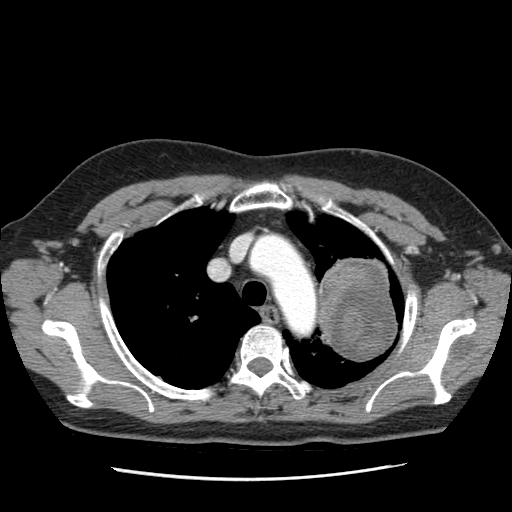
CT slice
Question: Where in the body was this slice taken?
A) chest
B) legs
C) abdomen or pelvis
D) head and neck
Answer: A) chest
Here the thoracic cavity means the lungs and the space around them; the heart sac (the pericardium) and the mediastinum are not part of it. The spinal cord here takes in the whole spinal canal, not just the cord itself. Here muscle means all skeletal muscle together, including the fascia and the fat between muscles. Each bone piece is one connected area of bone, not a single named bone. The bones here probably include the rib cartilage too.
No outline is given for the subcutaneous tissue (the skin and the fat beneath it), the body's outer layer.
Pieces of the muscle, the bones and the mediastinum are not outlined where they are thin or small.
Outlines (x, y in pixels):
spinal cord: 260 357; 262 357; 263 358; 265 358; 266 359; 267 359; 271 363; 271 368; 267 372; 266 372; 263 375; 262 375; 261 376; 259 376; 257 374; 256 374; 253 371; 250 370; 248 368; 248 364; 252 360; 253 360; 256 358; 259 358
torso: 159 137; 205 142; 257 155; 328 147; 381 150; 433 169; 471 199; 511 246; 511 281; 489 361; 466 401; 442 431; 427 437; 355 445; 180 444; 76 433; 59 420; 30 377; 9 324; 0 273; 1 228; 26 213; 94 153; 130 140
mediastinum: 264 208; 287 212; 286 219; 290 228; 314 258; 314 274; 319 286; 319 320; 314 333; 308 340; 298 342; 286 329; 282 335; 274 326; 260 323; 258 313; 243 303; 230 283; 212 281; 207 275; 207 263; 233 225; 236 215
muscle: 222 172; 240 176; 298 173; 331 178; 352 186; 383 189; 397 195; 417 208; 447 238; 444 241; 429 239; 413 257; 419 277; 427 288; 437 281; 453 279; 471 261; 511 275; 501 327; 481 376; 462 386; 453 398; 442 383; 443 368; 452 344; 459 337; 473 333; 477 327; 473 317; 457 317; 442 326; 432 354; 421 368; 415 371; 401 370; 391 375; 377 386; 364 406; 365 412; 369 413; 376 397; 388 384; 399 378; 422 375; 427 376; 432 386; 433 395; 429 403; 433 406; 411 407; 363 424; 317 421; 226 423; 207 420; 157 424; 108 409; 84 410; 95 406; 89 394; 98 382; 136 391; 144 398; 150 413; 155 410; 154 404; 139 385; 100 374; 85 358; 73 324; 46 318; 40 325; 41 330; 48 336; 65 340; 80 372; 76 391; 62 395; 53 382; 30 369; 20 355; 6 313; 1 274; 4 268; 16 258; 37 257; 46 253; 56 257; 87 284; 97 239; 92 232; 80 233; 76 228; 98 201; 122 186; 141 180; 185 173; inner edge: 261 180; 292 184; 290 199; 318 212; 320 205; 296 184; 329 196; 374 231; 395 260; 403 296; 418 299; 409 339; 397 355; 398 330; 388 355; 364 376; 335 388; 313 385; 301 399; 280 383; 260 398; 244 384; 228 384; 229 371; 205 401; 153 391; 126 367; 104 329; 98 299; 109 297; 106 271; 97 275; 101 247; 119 228; 125 239; 150 228; 195 192; 213 189; 206 203; 229 202
bones 1: 258 324; 272 326; 281 333; 289 349; 290 360; 297 377; 305 380; 313 387; 313 389; 303 398; 295 399; 289 390; 280 383; 273 383; 265 390; 260 398; 244 384; 228 384; 229 370; 234 364; 235 353; 240 344; 240 340; 251 327, around a hole outlined by 260 357; 262 357; 263 358; 265 358; 266 359; 267 359; 271 363; 271 368; 267 372; 266 372; 263 375; 262 375; 261 376; 259 376; 257 374; 256 374; 253 371; 250 370; 248 368; 248 364; 252 360; 253 360; 256 358; 259 358
bones 2: 468 317; 475 320; 475 330; 453 341; 441 372; 441 383; 452 395; 449 401; 436 405; 430 403; 434 390; 426 374; 403 376; 388 383; 375 397; 371 410; 366 412; 366 403; 379 385; 401 371; 421 369; 432 356; 443 326; 453 319
bones 3: 99 297; 104 297; 107 301; 116 328; 121 338; 133 356; 145 368; 167 383; 179 388; 201 389; 210 386; 214 389; 215 393; 208 400; 205 401; 200 399; 173 399; 153 391; 141 382; 123 363; 114 350; 106 334; 98 305
bones 4: 46 319; 66 321; 73 325; 86 361; 108 379; 139 386; 148 394; 154 410; 148 410; 145 398; 136 390; 100 381; 92 385; 88 394; 94 403; 91 408; 83 408; 66 397; 66 394; 77 391; 81 372; 66 340; 42 330; 41 325
bones 5: 261 180; 282 181; 285 183; 292 184; 293 185; 293 190; 292 191; 288 190; 286 192; 289 195; 290 199; 295 203; 291 210; 284 211; 274 207; 264 207; 263 208; 250 209; 236 214; 231 213; 228 211; 229 202; 237 194; 250 184
bones 6: 296 184; 300 184; 315 192; 331 197; 338 205; 359 217; 365 222; 390 250; 396 264; 394 271; 387 263; 379 248; 365 234; 345 220; 331 214; 319 211; 320 205; 316 201; 308 198; 305 193; 298 191; 295 186
bones 7: 408 292; 410 292; 413 296; 418 299; 418 311; 412 333; 402 351; 397 355; 396 353; 399 346; 398 340; 399 339; 399 335; 400 334; 400 330; 401 329; 401 326; 403 321; 403 315; 404 314; 404 304; 405 303; 404 297
bones 8: 122 227; 126 234; 124 238; 118 246; 118 247; 110 257; 107 263; 106 269; 102 272; 100 278; 98 279; 98 276; 97 275; 97 259; 99 255; 99 251; 101 247; 103 245; 105 240; 108 237; 108 236; 113 231; 119 228; 121 228
bones 9: 206 189; 213 189; 215 193; 214 194; 209 195; 205 199; 205 204; 204 205; 182 210; 165 219; 159 224; 152 226; 153 222; 169 211; 171 209; 172 206; 177 205; 184 200; 189 198; 195 192; 199 192
thoracic cavity 1: 225 201; 228 201; 227 211; 234 214; 235 219; 207 261; 205 272; 212 282; 230 284; 242 303; 255 311; 260 320; 240 338; 233 364; 221 379; 201 388; 183 388; 150 371; 125 343; 109 304; 106 270; 124 239; 157 226; 182 211
thoracic cavity 2: 296 203; 311 205; 318 212; 339 218; 365 235; 378 248; 403 292; 402 321; 388 355; 361 378; 335 388; 312 385; 298 377; 283 336; 286 330; 294 341; 308 341; 320 320; 320 286; 315 274; 316 261; 287 219; 287 213; 293 210